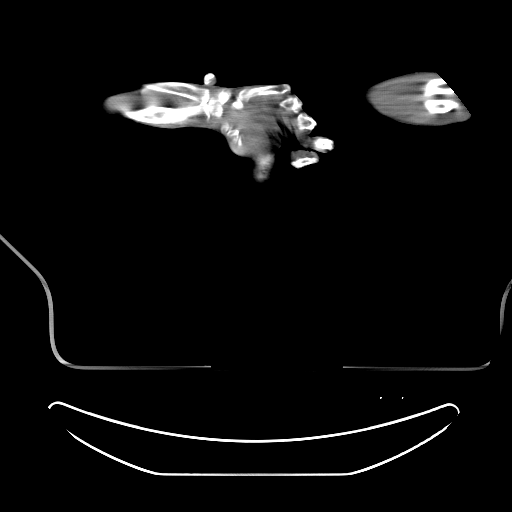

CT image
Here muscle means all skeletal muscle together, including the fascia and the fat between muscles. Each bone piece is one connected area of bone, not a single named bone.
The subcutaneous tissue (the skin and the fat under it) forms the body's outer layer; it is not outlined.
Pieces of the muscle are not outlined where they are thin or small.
{"left_arm":[[[426,70],[431,70],[436,72],[446,82],[447,85],[455,92],[471,116],[466,121],[443,126],[422,126],[421,125],[406,124],[395,121],[376,113],[364,105],[360,99],[360,94],[366,88],[378,81],[404,73],[408,73],[413,71],[425,71]]],"bones":[[[158,81],[206,87],[212,95],[221,88],[229,89],[231,96],[220,118],[211,116],[207,121],[200,114],[190,117],[183,126],[139,122],[126,117],[121,107],[143,107],[151,95],[158,98],[160,105],[170,107],[190,101],[153,90],[142,93],[144,84]],[[437,76],[441,77],[446,82],[447,85],[455,92],[456,95],[454,96],[453,98],[460,101],[462,105],[459,108],[452,109],[444,113],[428,114],[427,110],[423,105],[423,102],[420,99],[420,95],[422,93],[422,86],[428,79],[430,78],[434,78]],[[284,83],[288,84],[290,87],[290,90],[284,94],[269,94],[268,95],[254,96],[249,100],[245,101],[243,104],[244,105],[241,109],[232,109],[230,107],[231,102],[235,99],[235,97],[238,92],[244,87],[259,86],[268,84],[276,84],[277,85]],[[288,95],[297,96],[297,97],[302,102],[302,108],[301,110],[302,111],[304,111],[310,117],[313,118],[316,122],[316,125],[313,128],[313,129],[311,130],[303,130],[301,131],[297,126],[296,114],[291,110],[286,110],[279,105],[279,103]],[[225,121],[227,122],[231,126],[232,128],[238,128],[239,129],[239,134],[242,140],[242,146],[239,149],[241,153],[240,155],[238,155],[234,153],[232,151],[229,145],[227,143],[227,140],[226,138],[221,133],[220,133],[220,126],[221,124]],[[267,153],[271,153],[274,155],[274,161],[272,164],[272,166],[268,171],[268,176],[265,179],[263,180],[260,180],[259,181],[257,180],[254,176],[254,170],[255,169],[255,163],[258,157],[260,156],[262,156],[263,155],[265,155]],[[319,136],[320,137],[328,137],[330,139],[331,139],[333,141],[333,148],[332,149],[331,149],[328,152],[323,152],[322,151],[321,152],[318,152],[317,151],[316,151],[315,150],[314,150],[312,148],[312,142],[314,139],[314,137],[318,137]],[[315,155],[317,155],[319,157],[319,160],[315,163],[311,163],[310,164],[308,164],[307,165],[304,165],[301,167],[294,167],[292,165],[291,165],[291,162],[293,160],[294,160],[298,157],[302,157],[303,156],[314,156]],[[208,73],[211,73],[212,74],[213,74],[214,75],[214,78],[208,84],[205,84],[204,83],[204,76],[206,74],[207,74]]],"right_arm":[[[208,73],[224,87],[289,84],[316,122],[310,135],[328,137],[333,148],[294,167],[283,153],[302,147],[287,132],[279,147],[269,148],[274,161],[260,182],[253,159],[236,155],[218,131],[152,127],[97,113],[94,107],[111,94],[145,82],[201,83]]],"muscle":[[[235,89],[240,89],[229,104],[232,110],[241,110],[254,97],[288,94],[278,105],[295,114],[297,128],[313,137],[311,147],[304,148],[315,154],[293,159],[302,147],[287,132],[278,145],[269,148],[271,152],[258,156],[255,162],[251,157],[239,156],[243,140],[238,127],[232,127],[225,120],[219,132],[203,124],[190,123],[190,118],[200,115],[207,122],[211,117],[220,119],[224,105],[232,96],[231,90]],[[425,73],[431,73],[436,76],[428,78],[421,86],[419,99],[427,114],[444,114],[459,109],[463,105],[460,100],[454,98],[457,96],[465,106],[466,116],[464,118],[436,123],[415,122],[396,113],[391,103],[378,97],[377,92],[392,82],[405,77]],[[138,89],[140,89],[142,94],[153,91],[157,93],[181,97],[189,101],[178,106],[164,105],[159,103],[159,98],[156,95],[151,94],[146,97],[145,104],[143,106],[136,108],[121,106],[118,108],[120,112],[114,111],[106,107],[106,98],[114,94]]]}